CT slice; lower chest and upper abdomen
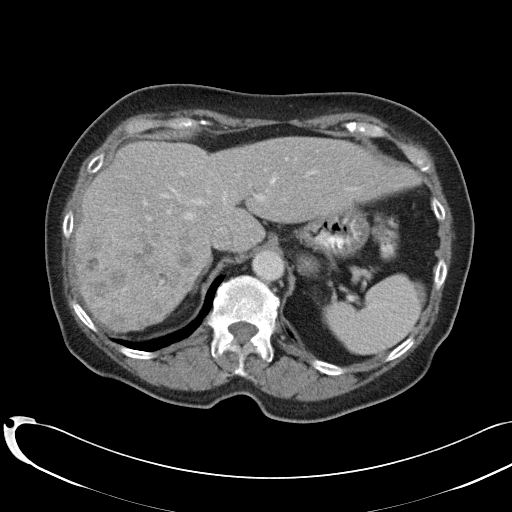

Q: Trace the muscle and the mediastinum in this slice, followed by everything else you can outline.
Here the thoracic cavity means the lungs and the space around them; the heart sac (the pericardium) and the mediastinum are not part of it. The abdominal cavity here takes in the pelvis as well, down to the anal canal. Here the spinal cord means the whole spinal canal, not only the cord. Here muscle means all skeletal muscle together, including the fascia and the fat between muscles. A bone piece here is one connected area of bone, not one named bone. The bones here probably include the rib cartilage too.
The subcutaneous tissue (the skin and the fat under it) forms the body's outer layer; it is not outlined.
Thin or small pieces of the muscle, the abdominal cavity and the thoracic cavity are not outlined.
A: The muscle appears in 2 outlined pieces: piece 1: (189, 108) (208, 109) (235, 117) (276, 120) (310, 118) (351, 111) (372, 115) (392, 126) (403, 136) (424, 147) (433, 157) (452, 216) (452, 254) (448, 271) (445, 260) (442, 257) (438, 259) (436, 254) (440, 245) (439, 221) (445, 219) (446, 211) (435, 196) (432, 198) (423, 173) (430, 170) (431, 162) (415, 146) (399, 142) (398, 147) (385, 138) (386, 130) (375, 123) (349, 120) (340, 130) (273, 123) (238, 131) (216, 132) (198, 128) (212, 124) (205, 118) (135, 119) (129, 121) (124, 130) (130, 135) (139, 133) (122, 139) (107, 157) (102, 151) (87, 163) (86, 171) (92, 175) (81, 194) (75, 213) (70, 209) (62, 219) (63, 236) (68, 239) (71, 235) (73, 279) (79, 302) (72, 300) (71, 307) (89, 329) (96, 333) (97, 326) (120, 346) (119, 351) (123, 355) (133, 359) (155, 358) (157, 356) (155, 351) (189, 337) (204, 322) (212, 330) (209, 342) (210, 355) (216, 359) (228, 351) (236, 353) (238, 365) (233, 373) (239, 376) (211, 389) (186, 391) (156, 386) (133, 374) (90, 340) (70, 311) (63, 292) (60, 234) (62, 212) (83, 161) (121, 121) (140, 113); piece 2: (445, 281) (437, 317) (423, 340) (400, 362) (359, 387) (326, 399) (300, 401) (270, 395) (251, 381) (241, 377) (248, 375) (244, 368) (246, 355) (257, 354) (268, 363) (273, 360) (275, 350) (271, 337) (276, 330) (278, 318) (288, 336) (314, 357) (309, 361) (310, 365) (323, 374) (341, 375) (347, 371) (344, 366) (369, 362) (382, 356) (385, 356) (385, 362) (396, 359) (414, 344) (415, 339) (412, 333) (426, 308) (432, 289) (433, 287) (438, 290). The mediastinum is outlined by (262, 248) (269, 248) (274, 250) (281, 256) (283, 260) (283, 264) (285, 266) (285, 273) (287, 276) (287, 288) (281, 296) (278, 296) (265, 282) (250, 274) (243, 273) (232, 276) (224, 280) (224, 274) (228, 268) (241, 264) (252, 253). The abdominal cavity is outlined by (273, 124) (384, 138) (423, 172) (438, 221) (438, 260) (411, 334) (369, 361) (342, 366) (316, 358) (278, 317) (286, 266) (277, 251) (262, 247) (218, 275) (180, 329) (140, 342) (109, 337) (80, 304) (72, 256) (78, 203) (105, 158) (122, 140) (155, 128) (228, 133). The torso is outlined by (164, 83) (264, 94) (369, 93) (412, 108) (443, 134) (470, 198) (473, 250) (452, 328) (417, 382) (377, 403) (329, 419) (298, 423) (267, 416) (247, 395) (205, 409) (166, 403) (95, 373) (68, 350) (45, 269) (44, 217) (52, 184) (73, 144) (107, 107) (133, 90). The thoracic cavity is outlined by (220, 275) (223, 275) (223, 280) (215, 290) (211, 309) (201, 324) (189, 336) (154, 351) (136, 349) (124, 345) (120, 345) (114, 342) (110, 338) (125, 340) (128, 342) (140, 343) (159, 338) (180, 330) (189, 324) (198, 315) (204, 304) (204, 300) (208, 289) (212, 282). The spinal cord is outlined by (242, 321) (243, 322) (246, 322) (249, 324) (251, 324) (255, 326) (257, 330) (256, 332) (247, 341) (243, 343) (240, 343) (238, 342) (235, 339) (235, 337) (234, 335) (229, 330) (229, 326) (233, 323) (236, 323) (237, 322) (241, 322). The bones appear in 12 outlined pieces: piece 1: (243, 274) (259, 279) (279, 298) (276, 327) (270, 337) (274, 350) (273, 358) (268, 362) (257, 353) (246, 354) (243, 361) (246, 376) (234, 373) (239, 365) (239, 355) (236, 352) (228, 350) (216, 358) (211, 355) (210, 342) (213, 330) (204, 321) (212, 309) (219, 285) with a hole at (242, 321) (243, 322) (246, 322) (249, 324) (251, 324) (255, 326) (257, 330) (256, 332) (247, 341) (243, 343) (240, 343) (238, 342) (235, 339) (235, 337) (234, 335) (229, 330) (229, 326) (233, 323) (236, 323) (237, 322) (241, 322); piece 2: (172, 118) (191, 118) (196, 120) (205, 119) (209, 121) (211, 124) (199, 125) (194, 129) (191, 128) (174, 129) (170, 127) (161, 126) (151, 128) (143, 132) (136, 132) (132, 134) (130, 134) (125, 130) (126, 125) (129, 122) (135, 120) (140, 119) (166, 120); piece 3: (349, 121) (356, 121) (357, 122) (364, 122) (365, 123) (375, 124) (385, 130) (386, 132) (386, 135) (383, 137) (372, 137) (371, 136) (365, 135) (363, 133) (361, 133) (358, 131) (354, 131) (353, 132) (349, 131) (347, 129) (346, 129) (345, 127) (347, 124) (347, 122); piece 4: (399, 143) (405, 143) (406, 144) (411, 145) (415, 147) (418, 150) (419, 150) (430, 162) (430, 167) (429, 168) (429, 170) (426, 172) (424, 172) (422, 171) (418, 167) (417, 165) (413, 163) (406, 156) (406, 155) (402, 151) (402, 150) (400, 149) (399, 147); piece 5: (315, 358) (316, 359) (321, 360) (324, 362) (327, 362) (331, 364) (334, 364) (338, 366) (341, 366) (342, 367) (344, 367) (346, 369) (346, 371) (341, 374) (338, 374) (337, 375) (330, 375) (329, 374) (326, 374) (325, 373) (323, 373) (319, 371) (311, 365) (310, 361); piece 6: (411, 335) (414, 339) (414, 342) (413, 343) (413, 344) (405, 352) (404, 352) (398, 357) (397, 357) (396, 358) (394, 358) (389, 361) (385, 361) (385, 358) (386, 357) (386, 356) (394, 348) (395, 348) (398, 345) (399, 345) (402, 342) (403, 342) (408, 337) (409, 337); piece 7: (441, 258) (442, 258) (444, 260) (446, 264) (446, 266) (447, 267) (447, 274) (446, 275) (445, 280) (442, 284) (442, 285) (438, 289) (436, 289) (434, 287) (434, 275) (435, 274) (435, 270) (436, 269) (436, 267) (437, 266) (438, 261) (439, 259); piece 8: (121, 346) (124, 346) (127, 348) (135, 349) (136, 350) (141, 350) (142, 351) (150, 351) (151, 352) (155, 352) (156, 353) (156, 356) (153, 358) (150, 358) (149, 359) (133, 358) (132, 357) (130, 357) (129, 356) (127, 356) (123, 354) (120, 351) (120, 347); piece 9: (72, 301) (75, 301) (77, 303) (78, 303) (89, 316) (89, 317) (91, 319) (91, 320) (93, 322) (93, 323) (95, 325) (97, 329) (97, 331) (96, 332) (93, 331) (90, 328) (89, 328) (79, 318) (79, 317) (75, 312) (74, 309) (72, 307) (72, 305) (71, 304); piece 10: (70, 210) (71, 211) (72, 211) (72, 212) (73, 213) (73, 228) (72, 229) (72, 231) (71, 232) (71, 234) (70, 235) (70, 236) (68, 238) (67, 238) (66, 237) (65, 237) (63, 234) (63, 232) (62, 231) (62, 224) (63, 223) (63, 219) (64, 218) (66, 213); piece 11: (102, 152) (103, 152) (105, 154) (104, 155) (104, 160) (103, 161) (103, 163) (102, 165) (99, 168) (99, 169) (98, 169) (97, 171) (96, 171) (94, 173) (89, 173) (87, 171) (87, 165) (88, 163) (92, 159) (92, 158) (93, 158) (96, 155) (98, 155); piece 12: (434, 197) (435, 197) (440, 202) (440, 203) (443, 206) (443, 207) (444, 208) (444, 210) (445, 211) (445, 217) (443, 220) (438, 220) (437, 219) (437, 218) (436, 217) (436, 216) (434, 213) (434, 211) (432, 208) (432, 199).